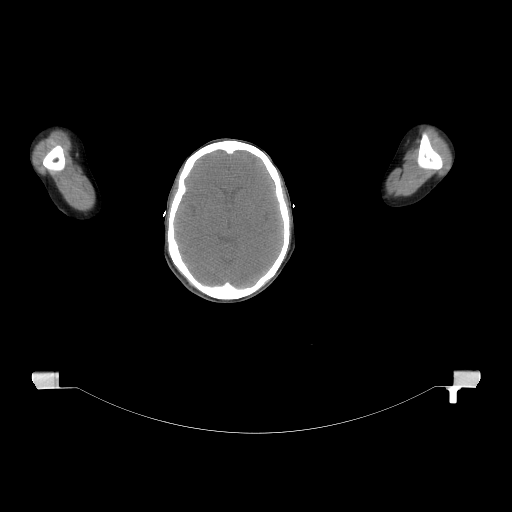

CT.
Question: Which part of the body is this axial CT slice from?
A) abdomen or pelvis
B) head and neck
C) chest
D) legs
Answer: B) head and neck
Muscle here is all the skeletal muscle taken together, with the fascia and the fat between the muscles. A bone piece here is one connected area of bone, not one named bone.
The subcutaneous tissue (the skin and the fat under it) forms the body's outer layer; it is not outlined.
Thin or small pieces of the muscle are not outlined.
{"bones":[{"outer":[[228,139],[235,139],[256,146],[269,156],[277,168],[281,178],[283,197],[288,208],[290,236],[282,263],[275,274],[261,287],[240,298],[219,299],[197,289],[177,269],[168,252],[166,234],[169,208],[177,190],[178,175],[185,160],[193,152],[207,144]],"hole":[[215,151],[223,151],[229,155],[236,151],[244,151],[255,156],[261,161],[273,183],[282,225],[281,245],[268,268],[250,285],[239,287],[229,281],[221,284],[207,284],[200,281],[184,261],[175,237],[174,223],[176,214],[187,190],[185,180],[200,158]]},[[423,132],[426,132],[432,148],[440,155],[442,159],[442,166],[441,168],[439,169],[428,169],[427,168],[423,168],[422,167],[420,167],[417,163],[417,158],[418,157],[418,150],[419,149],[419,145],[420,144],[420,141],[421,140],[421,136]],[[56,145],[60,145],[62,147],[63,149],[63,153],[64,154],[64,158],[65,159],[65,165],[63,169],[59,170],[58,171],[56,171],[55,170],[49,170],[43,165],[43,163],[42,162],[43,158],[45,156],[45,155],[53,147],[54,147]]],"left_arm":[[[420,122],[433,123],[439,126],[447,133],[452,140],[455,148],[455,159],[453,165],[447,175],[421,200],[411,205],[408,205],[403,207],[391,207],[388,206],[382,201],[380,196],[380,184],[383,175],[396,151],[400,140],[404,134],[408,129],[414,124]]],"brain":[[[215,151],[223,151],[229,155],[236,151],[244,151],[255,156],[261,161],[273,183],[282,225],[281,245],[268,268],[250,285],[239,287],[229,281],[221,284],[207,284],[200,281],[184,261],[175,237],[174,223],[176,214],[187,190],[185,180],[200,158]]],"muscle":[{"outer":[[55,129],[63,130],[68,134],[72,143],[70,155],[75,163],[80,166],[83,173],[93,187],[95,193],[95,204],[93,208],[88,211],[82,212],[69,206],[58,191],[51,177],[48,175],[42,175],[37,170],[34,164],[33,150],[35,145]],"hole":[[56,145],[60,145],[62,147],[63,149],[63,153],[64,154],[64,158],[65,159],[65,165],[63,169],[59,170],[58,171],[56,171],[55,170],[49,170],[43,165],[43,163],[42,162],[43,158],[45,156],[45,155],[53,147],[54,147]]},{"outer":[[422,126],[433,128],[446,141],[451,153],[450,163],[443,174],[440,176],[436,175],[432,176],[412,195],[396,198],[388,196],[385,190],[385,184],[387,178],[389,174],[396,167],[399,167],[402,164],[403,157],[406,151],[414,139],[418,129]],"hole":[[423,132],[426,132],[432,148],[440,155],[442,159],[442,166],[441,168],[439,169],[428,169],[427,168],[423,168],[422,167],[420,167],[417,163],[417,158],[418,157],[418,150],[419,149],[419,145],[420,144],[420,141],[421,140],[421,136]]},[[282,181],[282,183],[284,186],[285,192],[287,196],[287,199],[289,203],[289,206],[290,207],[290,215],[291,216],[291,238],[290,239],[290,243],[290,237],[291,231],[290,230],[290,216],[289,215],[289,208],[284,197],[284,192],[283,191],[283,187],[282,186]],[[177,179],[177,186],[176,187],[176,190],[172,197],[172,199],[170,202],[168,208],[168,212],[167,213],[167,229],[166,230],[166,233],[166,218],[167,217],[167,210],[169,206],[169,205],[169,201],[171,197],[171,194],[173,191],[173,188]]],"head":[[[218,137],[248,140],[265,150],[281,171],[289,190],[291,201],[294,205],[295,248],[289,262],[278,279],[269,288],[250,301],[239,304],[211,303],[192,294],[180,283],[169,269],[163,254],[162,216],[174,176],[182,162],[194,150],[208,140]]],"right_arm":[[[52,124],[61,124],[71,128],[78,134],[83,143],[89,167],[98,185],[102,197],[102,207],[101,210],[95,217],[91,219],[87,220],[74,219],[68,217],[57,209],[50,199],[42,182],[32,169],[28,155],[28,150],[30,142],[33,137],[40,130]]]}